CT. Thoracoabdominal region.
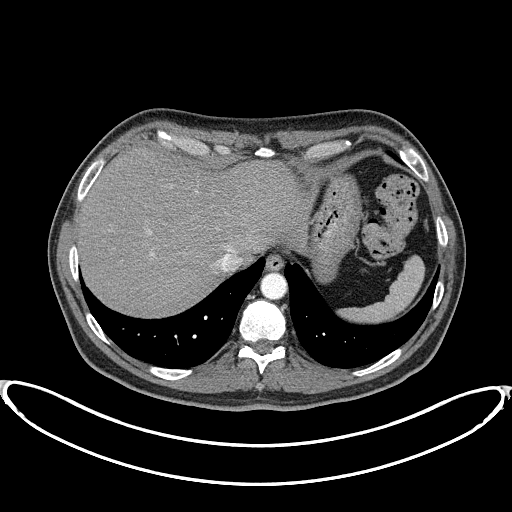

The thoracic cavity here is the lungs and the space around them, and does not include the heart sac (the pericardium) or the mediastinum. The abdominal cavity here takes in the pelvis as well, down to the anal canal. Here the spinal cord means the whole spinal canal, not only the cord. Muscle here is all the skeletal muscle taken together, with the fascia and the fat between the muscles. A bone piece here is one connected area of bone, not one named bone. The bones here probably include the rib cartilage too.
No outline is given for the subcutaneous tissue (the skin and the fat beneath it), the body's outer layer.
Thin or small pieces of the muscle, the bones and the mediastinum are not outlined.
torso: [[224,411],[293,411],[357,399],[396,385],[435,355],[461,293],[466,266],[465,235],[455,203],[435,163],[417,137],[397,119],[365,108],[272,117],[148,108],[112,127],[70,178],[50,226],[47,263],[54,293],[78,352],[92,368],[132,390],[174,403]]
muscle: [[201,393],[251,389],[324,392],[373,379],[407,359],[442,318],[456,268],[456,233],[436,179],[423,157],[430,179],[420,181],[434,218],[439,214],[448,232],[447,246],[439,246],[439,278],[445,291],[437,308],[429,310],[401,346],[404,350],[394,362],[361,377],[351,372],[366,366],[342,369],[322,365],[299,345],[287,322],[288,332],[280,341],[286,356],[270,362],[261,375],[252,359],[236,356],[242,343],[237,323],[217,353],[192,367],[189,376],[171,381],[151,374],[149,364],[128,355],[109,338],[110,344],[104,343],[85,320],[88,307],[79,282],[71,276],[68,249],[76,244],[76,213],[81,202],[75,198],[77,186],[90,163],[100,156],[106,160],[131,136],[142,131],[155,133],[157,128],[210,145],[224,144],[232,151],[253,153],[260,146],[269,146],[302,156],[310,145],[344,138],[353,142],[349,148],[373,141],[396,153],[403,145],[411,146],[421,155],[408,140],[376,124],[249,133],[153,118],[129,127],[94,157],[72,191],[57,242],[56,268],[71,311],[93,343],[126,370],[157,384]]
mediastinum 1: [[287,321],[290,321],[288,307],[289,292],[288,285],[284,276],[284,266],[287,262],[297,263],[289,254],[281,249],[276,249],[268,252],[264,256],[266,261],[261,276],[245,298],[240,312],[250,301],[257,298],[263,298],[275,303],[281,308],[287,318]]
mediastinum 2: [[314,163],[327,163],[328,162],[331,162],[335,160],[338,160],[347,157],[350,155],[356,154],[366,149],[379,148],[384,150],[382,146],[379,144],[373,142],[367,142],[355,146],[338,154],[323,159],[312,159],[311,160],[307,160],[309,160]]
abdominal cavity: [[358,325],[385,323],[405,314],[424,294],[439,266],[425,190],[407,166],[382,150],[314,164],[287,151],[267,158],[241,152],[193,154],[142,132],[108,157],[78,208],[79,271],[88,289],[119,313],[145,319],[178,314],[268,251],[281,248],[334,313]]
thoracic cavity 1: [[169,368],[187,368],[202,363],[227,342],[237,322],[241,304],[260,276],[265,258],[262,257],[258,259],[249,267],[234,274],[190,309],[175,316],[151,320],[132,318],[110,310],[87,289],[80,274],[81,287],[89,309],[107,336],[128,354],[150,364]]
thoracic cavity 2: [[342,368],[368,365],[400,346],[415,332],[430,307],[434,287],[438,279],[438,268],[425,294],[405,315],[393,322],[385,324],[358,326],[344,322],[333,313],[297,264],[286,264],[285,276],[289,285],[290,324],[293,332],[300,345],[314,359],[328,366]]
thoracic cavity 3: [[405,165],[406,165],[403,162],[402,162],[401,161],[401,160],[399,158],[399,157],[397,154],[396,154],[394,152],[393,152],[388,148],[386,148],[383,146],[384,149],[388,153],[388,154],[389,155],[390,155],[396,160],[401,162],[403,164],[404,164]]
spinal cord: [[261,354],[262,354],[263,353],[265,353],[266,352],[269,351],[270,348],[272,346],[272,342],[271,341],[270,341],[269,340],[267,340],[266,339],[260,339],[256,342],[255,342],[254,343],[252,343],[251,346],[254,349],[254,350],[258,353],[260,353]]
bones 1: [[261,374],[270,361],[283,358],[285,356],[285,347],[279,341],[287,332],[287,329],[286,318],[281,309],[271,302],[263,299],[257,299],[250,302],[241,312],[237,329],[243,340],[243,343],[238,350],[237,356],[239,358],[252,358],[257,363],[259,372]], around a hole outlined by [[261,354],[262,354],[263,353],[265,353],[266,352],[269,351],[270,348],[272,346],[272,342],[271,341],[270,341],[269,340],[267,340],[266,339],[260,339],[256,342],[255,342],[254,343],[252,343],[251,346],[254,349],[254,350],[258,353],[260,353]]
bones 2: [[193,153],[209,153],[210,152],[218,152],[219,151],[231,151],[227,146],[219,145],[218,144],[210,146],[199,140],[196,140],[193,138],[186,137],[182,135],[177,135],[171,132],[167,132],[162,129],[157,129],[156,134],[161,135],[169,139],[181,149]]
bones 3: [[306,159],[321,158],[322,157],[325,157],[328,155],[331,155],[334,153],[337,153],[351,146],[352,145],[352,142],[349,139],[344,139],[339,141],[324,142],[323,143],[320,143],[319,144],[316,144],[310,146],[306,149],[302,154],[303,157]]
bones 4: [[424,181],[428,181],[429,179],[428,178],[428,174],[425,166],[425,163],[422,157],[413,148],[411,147],[405,147],[403,146],[401,148],[398,149],[397,152],[402,161],[403,161],[410,168],[410,169],[412,170],[415,175],[419,179],[421,179]]
bones 5: [[78,201],[82,201],[83,198],[87,193],[89,188],[91,186],[91,185],[97,177],[98,174],[101,171],[103,166],[105,164],[105,160],[103,157],[100,157],[93,161],[88,167],[87,170],[85,172],[78,186],[78,189],[77,190],[77,196],[76,198]]
bones 6: [[356,376],[361,376],[362,375],[373,372],[376,370],[378,370],[388,365],[390,363],[394,361],[401,354],[403,349],[401,347],[399,347],[395,350],[392,351],[384,357],[381,358],[376,362],[364,368],[358,369],[357,370],[353,371],[352,372],[352,374]]
bones 7: [[171,380],[182,378],[189,375],[192,372],[192,369],[191,368],[188,368],[187,369],[169,369],[168,368],[158,367],[154,365],[150,365],[149,366],[148,370],[154,375],[158,376],[159,377],[161,377],[162,378],[164,378],[165,379],[170,379]]
bones 8: [[77,282],[78,282],[79,281],[79,272],[78,271],[78,257],[77,256],[77,248],[76,247],[76,246],[74,244],[73,244],[70,247],[70,248],[69,249],[69,266],[70,267],[70,270],[71,271],[71,273],[72,274],[72,276],[73,277],[74,280]]
bones 9: [[107,344],[109,344],[109,341],[106,335],[104,333],[104,332],[102,330],[102,329],[100,327],[100,326],[98,324],[94,317],[91,314],[89,310],[88,311],[86,311],[85,312],[85,317],[89,326],[94,332],[94,333],[100,339],[101,339]]
bones 10: [[443,247],[446,246],[447,244],[447,232],[446,231],[446,228],[445,227],[445,225],[444,224],[444,222],[443,220],[441,218],[441,217],[439,215],[438,215],[435,218],[435,223],[436,224],[436,234],[437,235],[437,239],[438,240],[438,243],[439,245]]
bones 11: [[430,310],[434,310],[436,308],[437,305],[439,303],[442,297],[442,295],[444,291],[444,284],[443,283],[443,281],[441,279],[439,279],[437,281],[437,283],[435,287],[435,290],[434,291],[434,294],[433,295],[433,299],[432,300],[432,304],[431,305]]